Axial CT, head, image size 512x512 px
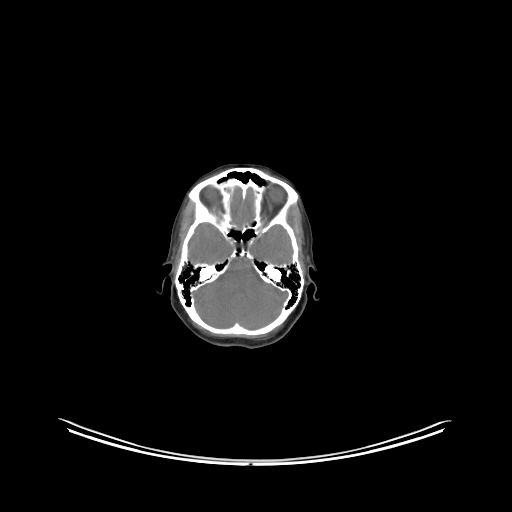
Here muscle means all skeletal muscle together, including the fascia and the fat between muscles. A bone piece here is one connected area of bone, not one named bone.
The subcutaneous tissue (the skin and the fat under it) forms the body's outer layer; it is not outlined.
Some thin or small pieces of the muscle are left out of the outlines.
{"bones":[{"outer":[[235,167],[250,167],[262,170],[287,183],[295,190],[298,195],[297,202],[292,205],[288,210],[287,222],[293,229],[296,241],[299,247],[298,259],[304,275],[304,284],[301,293],[301,297],[295,308],[282,323],[266,333],[256,335],[214,333],[194,322],[189,317],[182,306],[178,298],[174,282],[174,277],[181,255],[181,246],[187,233],[188,228],[194,220],[194,205],[189,199],[188,193],[196,184],[206,178],[223,170]],"holes":[[[240,258],[244,258],[248,260],[253,270],[265,283],[271,285],[285,294],[280,310],[277,315],[269,322],[254,328],[246,327],[237,321],[229,326],[224,327],[213,325],[206,321],[198,312],[195,303],[195,292],[201,287],[215,281],[228,270],[233,260]],[[201,224],[209,224],[213,226],[215,228],[216,228],[219,231],[219,232],[229,246],[230,252],[229,254],[228,254],[223,259],[218,259],[212,262],[207,262],[206,261],[193,261],[191,259],[190,259],[189,257],[189,242],[191,238],[193,236],[197,227]],[[276,225],[280,226],[285,231],[289,238],[290,247],[291,248],[291,255],[290,256],[289,261],[284,261],[283,262],[276,263],[267,259],[260,259],[256,257],[256,256],[252,253],[252,248],[260,237],[263,234],[267,232],[268,230],[273,226],[275,226]],[[274,184],[278,185],[281,187],[285,192],[285,201],[281,207],[274,215],[273,215],[269,219],[266,219],[264,217],[264,215],[262,212],[262,210],[263,209],[263,206],[262,204],[264,199],[264,193],[265,191],[269,189],[272,186],[272,185]],[[237,188],[240,190],[240,197],[243,201],[247,198],[248,196],[248,191],[249,190],[250,190],[250,193],[251,194],[251,216],[249,219],[244,220],[243,221],[237,221],[236,218],[234,217],[232,213],[232,202],[234,200],[234,198],[236,194],[236,189]],[[208,186],[211,186],[212,187],[215,188],[218,191],[218,192],[220,195],[220,204],[221,205],[221,209],[220,208],[218,208],[217,209],[213,209],[212,210],[211,209],[210,209],[202,201],[202,200],[201,199],[201,192],[204,188],[205,188]],[[247,172],[250,174],[253,174],[257,176],[259,178],[263,180],[264,182],[260,184],[256,182],[253,179],[253,178],[250,176],[246,180],[246,181],[243,181],[241,179],[237,177],[230,176],[230,175],[232,173],[240,173],[241,174],[243,174]],[[246,232],[251,232],[252,233],[252,234],[251,235],[250,235],[246,238],[243,238],[242,237],[239,237],[238,238],[237,237],[234,236],[234,235],[233,234],[232,234],[232,233],[238,233],[241,235],[243,235],[244,234],[245,234],[246,233]]]}],"head":[{"outer":[[226,163],[262,164],[287,177],[302,197],[312,230],[317,270],[309,272],[319,300],[313,300],[311,284],[305,308],[288,333],[260,348],[230,349],[206,343],[172,309],[170,280],[164,281],[161,294],[155,292],[170,269],[162,263],[185,192],[198,177]],"holes":[[[247,172],[250,174],[253,174],[257,176],[259,178],[263,180],[264,182],[260,184],[256,182],[253,179],[253,178],[250,176],[246,180],[246,181],[243,181],[241,179],[237,177],[230,176],[230,175],[232,173],[240,173],[241,174],[243,174]],[[246,232],[251,232],[252,233],[252,234],[251,235],[250,235],[246,238],[243,238],[242,237],[239,237],[238,238],[237,237],[234,236],[234,235],[233,234],[232,234],[232,233],[238,233],[241,235],[243,235],[244,234],[245,234],[246,233]]]}],"muscle":[[[298,201],[302,213],[302,217],[303,218],[303,224],[305,230],[306,248],[307,249],[307,255],[308,256],[308,262],[306,265],[306,268],[304,273],[299,259],[300,247],[298,244],[294,229],[288,222],[288,213],[289,210],[291,207],[295,205]],[[188,198],[193,205],[193,220],[187,228],[186,233],[182,240],[180,246],[180,255],[179,256],[179,260],[175,270],[174,276],[174,267],[172,263],[173,248],[176,239],[176,233],[178,227],[178,222],[180,219],[180,216],[182,210]],[[182,307],[188,317],[194,323],[197,324],[202,328],[214,334],[223,334],[224,335],[248,335],[249,336],[256,336],[257,335],[266,334],[282,324],[287,319],[287,318],[289,316],[289,317],[285,322],[283,327],[280,330],[279,330],[275,334],[265,339],[253,340],[252,339],[246,339],[245,338],[220,338],[219,337],[214,337],[213,336],[207,335],[193,326],[193,325],[189,321],[187,316],[184,313],[184,311]]],"brain":[[[240,258],[244,258],[248,260],[253,270],[265,283],[271,285],[285,294],[280,310],[277,315],[269,322],[254,328],[246,327],[237,321],[229,326],[224,327],[213,325],[206,321],[198,312],[195,303],[195,292],[201,287],[215,281],[228,270],[233,260]],[[201,224],[209,224],[213,226],[215,228],[216,228],[219,231],[219,232],[229,246],[230,252],[229,254],[228,254],[223,259],[218,259],[212,262],[207,262],[206,261],[193,261],[191,259],[190,259],[189,257],[189,242],[191,238],[193,236],[197,227]],[[276,225],[280,226],[285,231],[289,238],[290,247],[291,248],[291,255],[290,256],[289,261],[284,261],[283,262],[276,263],[267,259],[260,259],[256,257],[256,256],[252,253],[252,248],[260,237],[263,234],[267,232],[268,230],[273,226],[275,226]],[[237,188],[240,190],[240,197],[243,201],[247,198],[248,196],[248,191],[249,190],[250,190],[250,193],[251,194],[251,216],[249,219],[244,220],[243,221],[237,221],[236,218],[234,217],[232,213],[232,202],[234,200],[234,198],[236,194],[236,189]]]}